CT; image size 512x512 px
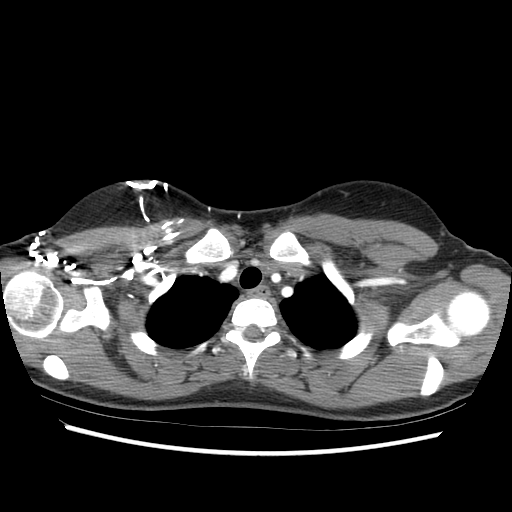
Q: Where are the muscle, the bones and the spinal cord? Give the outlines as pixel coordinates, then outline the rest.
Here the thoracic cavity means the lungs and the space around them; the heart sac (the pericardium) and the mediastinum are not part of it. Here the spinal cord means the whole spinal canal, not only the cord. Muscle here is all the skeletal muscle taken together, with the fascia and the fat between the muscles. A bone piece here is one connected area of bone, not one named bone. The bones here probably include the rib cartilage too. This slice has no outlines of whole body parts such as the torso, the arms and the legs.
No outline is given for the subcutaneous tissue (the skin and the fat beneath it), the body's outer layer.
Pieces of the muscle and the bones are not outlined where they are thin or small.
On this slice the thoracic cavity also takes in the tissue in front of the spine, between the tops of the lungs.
A: The muscle is outlined by (316, 211) (395, 219) (424, 231) (439, 249) (413, 264) (419, 275) (481, 263) (511, 276) (499, 335) (475, 377) (439, 390) (445, 370) (429, 353) (418, 390) (425, 397) (328, 409) (249, 381) (138, 399) (67, 380) (69, 370) (55, 353) (42, 359) (45, 373) (23, 363) (12, 331) (39, 340) (89, 326) (105, 332) (111, 315) (98, 285) (82, 287) (81, 309) (65, 308) (53, 282) (31, 269) (3, 286) (1, 257) (47, 236) (169, 214) (258, 226) with holes at (211, 227) (227, 238) (233, 249) (231, 258) (255, 255) (276, 262) (269, 256) (268, 247) (285, 230) (292, 232) (308, 252) (312, 261) (308, 269) (318, 271) (320, 261) (331, 258) (353, 286) (357, 328) (373, 335) (368, 345) (349, 359) (338, 358) (333, 349) (318, 350) (310, 346) (315, 359) (307, 359) (300, 351) (291, 358) (282, 355) (286, 347) (293, 346) (283, 337) (280, 343) (268, 346) (259, 354) (253, 380) (243, 374) (245, 358) (239, 347) (219, 340) (221, 328) (213, 335) (223, 349) (216, 354) (208, 347) (186, 357) (193, 346) (175, 349) (164, 344) (157, 349) (159, 356) (140, 350) (131, 341) (130, 332) (145, 327) (151, 288) (168, 273) (197, 274) (205, 266) (216, 263) (188, 264) (184, 260) (185, 251) and at (465, 289) (474, 290) (481, 294) (490, 307) (490, 319) (480, 333) (470, 337) (463, 337) (458, 344) (451, 347) (414, 344) (410, 342) (402, 342) (394, 347) (389, 345) (386, 334) (387, 330) (394, 322) (401, 321) (407, 324) (417, 323) (438, 309) (443, 308) (453, 296). The bones appear in 12 outlined pieces: piece 1: (24, 270) (31, 270) (52, 282) (64, 300) (65, 309) (83, 309) (86, 305) (83, 287) (85, 285) (98, 286) (110, 315) (110, 323) (107, 329) (103, 331) (89, 325) (73, 332) (55, 331) (47, 339) (22, 335) (12, 330) (3, 301) (3, 287) (12, 276); piece 2: (465, 289) (474, 290) (481, 294) (490, 307) (490, 319) (480, 333) (470, 337) (463, 337) (458, 344) (451, 347) (414, 344) (410, 342) (402, 342) (394, 347) (389, 345) (386, 334) (387, 330) (394, 322) (401, 321) (407, 324) (417, 323) (438, 309) (443, 308) (453, 296); piece 3: (252, 297) (268, 301) (315, 359) (307, 359) (300, 351) (295, 358) (282, 355) (286, 347) (293, 346) (283, 337) (280, 343) (268, 346) (259, 354) (253, 368) (254, 379) (248, 380) (243, 374) (245, 358) (239, 347) (232, 342) (221, 342) (218, 336) (232, 306), around a hole outlined by (252, 324) (253, 324) (254, 325) (256, 325) (259, 328) (259, 329) (264, 334) (263, 337) (261, 339) (257, 339) (254, 341) (250, 341) (244, 337) (244, 336) (243, 335) (243, 332) (244, 331) (244, 330) (246, 328) (246, 327) (247, 327) (249, 325) (251, 325); piece 4: (211, 227) (214, 227) (218, 229) (227, 238) (231, 247) (233, 249) (233, 254) (230, 257) (224, 260) (216, 261) (215, 262) (198, 263) (197, 264) (188, 264) (185, 262) (184, 260) (184, 253) (185, 251) (188, 248) (193, 245) (198, 240) (199, 240) (204, 235) (206, 231); piece 5: (285, 230) (289, 230) (292, 232) (296, 236) (298, 241) (308, 252) (312, 261) (312, 265) (311, 266) (303, 266) (299, 263) (296, 263) (295, 262) (287, 262) (286, 263) (283, 263) (280, 261) (277, 261) (269, 256) (269, 254) (268, 253) (268, 247) (272, 241) (281, 232); piece 6: (327, 257) (331, 258) (335, 262) (336, 265) (341, 271) (343, 276) (353, 286) (352, 287) (354, 291) (354, 294) (355, 295) (355, 298) (357, 303) (355, 307) (355, 311) (350, 305) (346, 298) (333, 285) (326, 275) (322, 271) (321, 266) (320, 265) (320, 261) (322, 259); piece 7: (429, 354) (432, 354) (439, 360) (444, 370) (444, 376) (443, 377) (442, 382) (440, 385) (440, 388) (437, 391) (426, 396) (421, 396) (419, 395) (419, 390) (420, 389) (420, 386) (422, 382) (422, 379) (424, 376) (424, 373) (426, 369) (426, 365) (427, 364) (427, 358); piece 8: (358, 329) (358, 330) (361, 332) (364, 332) (370, 335) (373, 335) (368, 345) (360, 353) (359, 353) (353, 358) (350, 358) (349, 359) (340, 359) (338, 358) (337, 357) (337, 353) (336, 351) (334, 350) (338, 349) (345, 343) (346, 343) (349, 340) (350, 340) (357, 333); piece 9: (50, 354) (55, 354) (59, 356) (62, 359) (69, 373) (69, 378) (68, 379) (66, 380) (61, 380) (55, 377) (53, 377) (51, 375) (49, 375) (47, 374) (44, 371) (42, 367) (42, 361) (43, 359) (47, 355) (49, 355); piece 10: (143, 328) (145, 328) (145, 330) (147, 334) (154, 341) (155, 341) (158, 344) (160, 345) (157, 349) (159, 353) (159, 356) (155, 356) (152, 354) (150, 354) (149, 353) (146, 353) (140, 350) (131, 341) (130, 339) (130, 332) (131, 331) (137, 331) (138, 330) (141, 330); piece 11: (168, 273) (177, 273) (177, 276) (175, 278) (172, 285) (165, 293) (164, 293) (162, 295) (161, 295) (159, 297) (158, 297) (149, 307) (149, 305) (148, 304) (148, 299) (147, 298) (147, 296) (148, 295) (151, 288) (152, 288) (163, 277) (166, 276); piece 12: (213, 336) (216, 337) (216, 340) (215, 342) (221, 346) (223, 349) (222, 351) (220, 351) (216, 354) (214, 354) (211, 351) (210, 348) (208, 347) (204, 351) (200, 352) (193, 356) (191, 356) (190, 357) (186, 357) (185, 356) (186, 353) (191, 350) (195, 346) (207, 340). The spinal cord is outlined by (252, 324) (253, 324) (254, 325) (256, 325) (259, 328) (259, 329) (264, 334) (263, 337) (261, 339) (257, 339) (254, 341) (250, 341) (244, 337) (244, 336) (243, 335) (243, 332) (244, 331) (244, 330) (246, 328) (246, 327) (247, 327) (249, 325) (251, 325). The thoracic cavity is outlined by (248, 255) (283, 264) (295, 263) (314, 271) (320, 269) (353, 309) (357, 318) (356, 333) (336, 349) (315, 349) (289, 330) (268, 300) (252, 296) (236, 301) (220, 328) (196, 345) (175, 349) (158, 343) (146, 330) (146, 316) (178, 276) (197, 274) (205, 266).